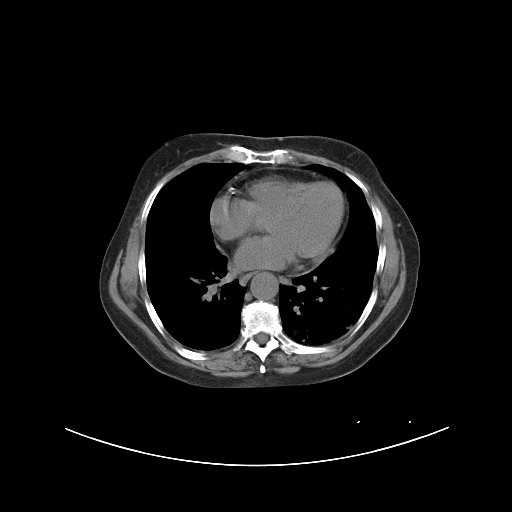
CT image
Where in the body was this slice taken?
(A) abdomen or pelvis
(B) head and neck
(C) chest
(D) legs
Answer: (C) chest
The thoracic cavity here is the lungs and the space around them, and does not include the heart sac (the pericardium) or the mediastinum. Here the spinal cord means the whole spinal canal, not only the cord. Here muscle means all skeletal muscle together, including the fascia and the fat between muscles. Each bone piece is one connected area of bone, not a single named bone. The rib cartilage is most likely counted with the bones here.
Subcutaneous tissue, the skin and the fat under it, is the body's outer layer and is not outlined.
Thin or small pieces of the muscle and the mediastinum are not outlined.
{"spinal_cord":[[[259,332],[264,332],[265,333],[266,333],[268,335],[268,339],[267,340],[267,341],[264,344],[260,344],[259,343],[258,343],[255,340],[255,339],[254,338],[254,337],[255,336],[255,335],[256,334],[257,334]]],"bones":[{"outer":[[258,300],[272,303],[278,307],[282,330],[295,342],[308,346],[329,345],[333,349],[312,354],[287,354],[277,347],[266,356],[263,362],[265,367],[265,372],[263,373],[259,369],[262,362],[254,352],[243,349],[227,352],[240,337],[243,306]],"hole":[[259,332],[264,332],[265,333],[266,333],[268,335],[268,339],[267,340],[267,341],[264,344],[260,344],[259,343],[258,343],[255,340],[255,339],[254,338],[254,337],[255,336],[255,335],[256,334],[257,334]]},[[232,145],[240,145],[255,151],[269,151],[274,149],[287,149],[288,151],[294,156],[294,159],[288,163],[262,163],[261,162],[242,163],[241,162],[236,162],[228,158],[227,159],[225,159],[222,155],[224,151]],[[375,287],[377,288],[377,297],[376,298],[375,303],[371,311],[366,318],[365,321],[362,324],[362,325],[359,328],[359,329],[353,335],[351,336],[350,335],[350,332],[353,329],[358,318],[362,313],[363,309],[365,307],[369,299],[370,294],[373,288]],[[164,177],[167,177],[168,180],[157,193],[149,209],[149,211],[146,218],[146,221],[145,223],[142,223],[141,222],[141,214],[143,210],[143,207],[144,206],[145,201],[148,195],[154,188],[156,184],[160,180],[161,180],[162,178]],[[147,295],[148,295],[149,297],[149,299],[157,315],[159,317],[160,320],[162,322],[166,330],[165,331],[165,336],[163,336],[158,331],[158,330],[154,325],[153,322],[151,320],[148,314],[148,312],[146,309],[146,307],[144,303],[144,298]],[[175,344],[177,344],[180,346],[182,346],[187,349],[189,349],[193,351],[196,351],[197,352],[205,352],[208,358],[205,360],[193,360],[192,359],[189,359],[188,358],[186,358],[180,355],[174,349],[173,346]],[[144,245],[144,259],[145,260],[145,277],[146,278],[146,279],[145,280],[145,283],[143,285],[142,285],[141,284],[141,283],[140,282],[140,278],[139,277],[139,271],[138,270],[138,257],[139,256],[139,252],[140,251],[140,250],[141,249],[141,248]],[[380,244],[384,244],[385,245],[385,247],[386,248],[386,249],[385,250],[385,257],[384,258],[384,261],[383,262],[383,268],[381,270],[381,271],[378,274],[376,274],[375,273],[375,272],[376,271],[376,264],[377,263],[377,258],[378,257],[378,246]],[[371,203],[374,203],[378,207],[378,208],[381,213],[381,228],[380,229],[380,230],[377,232],[376,232],[376,228],[375,227],[375,220],[374,219],[374,217],[373,216],[372,211],[371,210],[371,209],[370,208],[370,206],[369,205],[369,204],[370,204]],[[345,172],[348,172],[349,173],[352,174],[354,176],[355,176],[358,179],[359,179],[366,187],[366,188],[367,189],[367,193],[366,194],[365,194],[363,192],[363,191],[360,188],[360,187],[344,173]]],"muscle":[[[285,148],[325,157],[348,167],[359,175],[385,205],[392,220],[394,235],[402,244],[406,264],[406,280],[404,290],[399,300],[381,323],[353,351],[334,363],[318,367],[302,366],[297,371],[290,374],[282,374],[275,371],[266,372],[264,362],[267,356],[277,348],[287,355],[312,355],[331,352],[334,349],[331,345],[327,344],[343,336],[352,326],[349,335],[351,337],[353,336],[366,321],[376,303],[378,288],[376,286],[373,287],[373,281],[375,274],[378,275],[384,268],[387,248],[384,243],[378,245],[377,243],[376,235],[382,228],[382,213],[374,202],[368,203],[365,195],[368,193],[368,189],[359,178],[348,171],[342,172],[323,164],[298,163],[293,161],[295,156]],[[144,201],[140,214],[140,222],[145,224],[144,244],[138,252],[137,270],[139,282],[142,286],[146,285],[148,294],[143,298],[143,303],[157,331],[163,337],[167,331],[181,345],[175,343],[173,349],[193,361],[205,361],[209,358],[206,352],[234,344],[226,352],[243,350],[254,353],[261,362],[258,368],[260,373],[239,377],[217,376],[179,364],[160,351],[113,302],[108,292],[109,277],[120,250],[127,245],[130,228]],[[229,144],[231,144],[231,145],[225,149],[221,155],[224,159],[223,161],[204,161],[203,162],[200,162],[180,172],[169,180],[167,176],[162,177],[170,170],[182,162],[192,157],[195,157],[199,155],[209,153],[212,151],[223,148],[226,145],[228,145]]],"torso":[[[196,132],[262,137],[307,134],[330,136],[358,146],[373,158],[415,230],[420,264],[415,297],[407,319],[394,337],[361,367],[343,376],[310,385],[205,388],[156,370],[115,329],[101,304],[98,280],[104,253],[123,213],[134,179],[147,157],[164,142]]],"thoracic_cavity":[[[204,162],[235,162],[245,165],[245,168],[221,186],[209,208],[209,223],[214,244],[227,259],[226,270],[245,291],[240,311],[241,326],[236,342],[218,349],[197,351],[183,346],[170,334],[150,299],[146,284],[145,228],[150,209],[160,190],[180,173]],[[311,164],[333,168],[343,173],[359,187],[365,196],[374,220],[377,244],[372,289],[361,313],[343,335],[323,345],[303,344],[287,335],[283,330],[278,306],[280,286],[289,285],[293,278],[311,271],[335,251],[350,215],[346,191],[332,178],[308,168]]],"pericardium":[[[264,167],[287,167],[309,170],[333,180],[345,195],[348,205],[348,219],[337,243],[330,253],[320,263],[311,270],[300,275],[286,275],[274,273],[269,270],[244,271],[230,262],[216,245],[210,223],[210,208],[214,198],[220,190],[234,178],[247,172]]],"mediastinum":[[[228,261],[244,272],[269,271],[274,274],[286,276],[297,276],[293,277],[289,284],[281,284],[279,286],[278,290],[279,299],[277,305],[272,302],[262,299],[254,300],[243,305],[246,290],[243,286],[240,285],[239,281],[236,278],[233,278],[227,270]],[[291,162],[295,162],[298,164],[310,164],[306,167],[307,168],[308,169],[311,169],[317,171],[327,176],[319,174],[318,173],[309,169],[304,169],[303,168],[288,167],[287,166],[264,166],[239,174],[222,187],[226,182],[237,173],[245,169],[246,168],[245,164],[251,163],[288,164]]]}